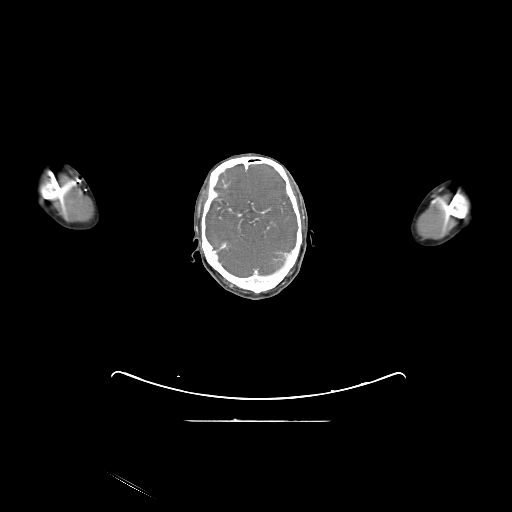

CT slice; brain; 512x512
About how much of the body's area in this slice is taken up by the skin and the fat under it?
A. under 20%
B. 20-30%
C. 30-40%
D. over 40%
B. 20-30%
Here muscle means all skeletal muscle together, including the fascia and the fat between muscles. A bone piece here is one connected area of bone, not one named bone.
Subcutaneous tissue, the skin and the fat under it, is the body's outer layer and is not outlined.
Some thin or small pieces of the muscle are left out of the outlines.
{"right_arm":[[[48,157],[58,158],[69,163],[73,166],[86,180],[95,196],[99,208],[99,214],[100,215],[99,222],[93,229],[90,230],[83,230],[82,231],[66,229],[54,221],[36,202],[32,194],[33,171],[37,163],[39,161],[41,162]]],"bones":[{"outer":[[249,155],[272,158],[279,162],[287,170],[290,184],[297,200],[301,218],[302,243],[295,263],[284,278],[276,286],[259,293],[255,293],[251,290],[238,287],[222,276],[207,262],[200,245],[200,219],[203,205],[207,198],[209,173],[216,166],[227,159]],"hole":[[238,165],[242,165],[246,172],[252,165],[271,167],[283,180],[295,216],[294,244],[281,253],[282,264],[267,274],[259,273],[256,268],[245,276],[231,272],[218,254],[227,243],[222,241],[216,247],[206,234],[207,214],[220,194],[215,188],[219,178]]},[[458,190],[459,190],[459,191],[465,197],[465,198],[468,202],[468,211],[464,218],[458,218],[457,217],[455,217],[452,215],[450,215],[449,214],[448,214],[445,211],[445,210],[444,209],[446,207],[447,204],[451,200],[451,199],[453,197],[454,194]],[[49,180],[50,180],[51,181],[52,181],[53,182],[54,182],[54,183],[58,187],[58,190],[59,191],[59,196],[58,197],[58,198],[55,198],[54,199],[45,199],[41,195],[41,193],[40,192],[40,188],[41,187],[41,186],[45,182],[46,182]]],"left_arm":[[[451,178],[463,178],[470,180],[475,183],[483,192],[484,195],[483,201],[473,220],[465,228],[450,240],[441,245],[438,245],[437,246],[432,246],[431,247],[422,246],[416,243],[412,239],[410,235],[410,222],[412,216],[421,200],[432,188],[441,182]]],"muscle":[[[51,166],[70,170],[80,180],[80,182],[88,193],[94,207],[94,216],[89,222],[67,222],[55,214],[41,199],[41,196],[45,200],[54,200],[58,199],[60,196],[59,187],[54,181],[50,179],[45,181],[40,186],[39,192],[41,175],[46,168]],{"outer":[[445,186],[457,186],[466,191],[467,194],[470,198],[470,209],[471,211],[469,214],[469,216],[468,218],[466,219],[456,229],[445,237],[443,237],[440,239],[422,239],[416,232],[416,229],[415,228],[416,221],[420,214],[424,210],[431,196],[440,188]],"hole":[[458,190],[459,190],[459,191],[465,197],[465,198],[468,202],[468,211],[464,218],[458,218],[457,217],[455,217],[452,215],[450,215],[449,214],[448,214],[445,211],[445,210],[444,209],[446,207],[447,204],[451,200],[451,199],[453,197],[454,194]]},[[207,181],[207,185],[206,186],[206,198],[203,202],[202,209],[200,214],[200,218],[199,219],[199,235],[200,236],[200,239],[199,238],[199,230],[198,229],[198,224],[197,223],[197,214],[198,213],[198,206],[199,205],[200,198],[207,183]],[[290,178],[298,194],[299,199],[302,203],[302,208],[304,212],[304,237],[303,238],[303,240],[303,232],[302,231],[302,218],[301,217],[301,212],[299,208],[299,205],[298,204],[298,200],[297,199],[297,197],[293,190],[293,188],[291,184]],[[218,273],[227,281],[233,284],[238,288],[240,288],[244,290],[247,290],[248,291],[251,291],[254,293],[245,293],[235,288],[232,288],[230,287],[228,285],[227,285],[220,278]],[[295,264],[295,265],[294,266],[294,270],[293,271],[293,272],[286,279],[286,280],[284,282],[284,283],[283,283],[281,285],[280,285],[279,286],[274,288],[275,287],[276,287],[285,278],[285,277],[288,274],[289,271],[293,267],[293,266]]],"head":[[[244,152],[271,156],[289,170],[303,196],[315,244],[312,247],[307,239],[299,273],[287,287],[272,297],[258,300],[243,298],[223,289],[206,271],[197,252],[194,253],[194,262],[191,262],[191,253],[197,245],[192,240],[194,204],[202,182],[213,164]]],"brain":[[[238,165],[242,165],[246,172],[252,165],[271,167],[283,180],[295,216],[294,244],[281,253],[282,264],[267,274],[259,273],[256,268],[245,276],[231,272],[218,254],[227,243],[222,241],[216,247],[206,234],[207,214],[220,194],[215,188],[219,178]]]}